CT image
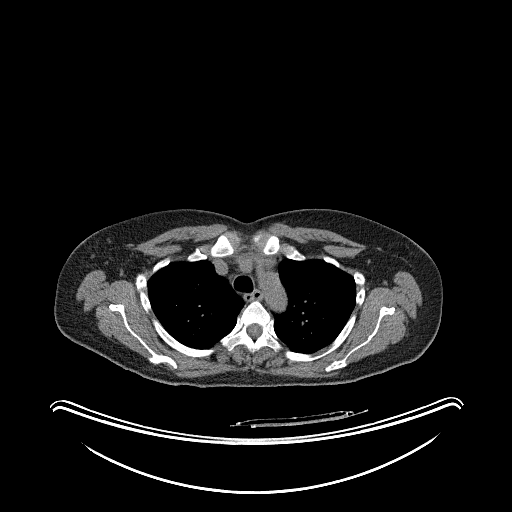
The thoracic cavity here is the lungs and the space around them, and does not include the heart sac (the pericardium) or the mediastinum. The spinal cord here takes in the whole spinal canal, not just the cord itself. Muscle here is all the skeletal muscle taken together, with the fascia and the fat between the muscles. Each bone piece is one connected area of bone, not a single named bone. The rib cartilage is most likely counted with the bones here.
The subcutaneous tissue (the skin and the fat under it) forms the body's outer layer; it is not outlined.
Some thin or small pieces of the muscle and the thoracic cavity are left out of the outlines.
{"spinal_cord":[[[252,324],[257,324],[260,327],[260,328],[261,329],[261,332],[260,333],[260,334],[256,338],[255,338],[254,339],[253,338],[252,338],[248,334],[248,333],[247,332],[247,328],[248,327],[248,326],[249,326],[250,325],[251,325]]],"torso":[[[178,208],[215,211],[244,222],[293,209],[330,208],[361,215],[403,233],[430,255],[441,276],[441,320],[433,341],[410,363],[356,381],[330,385],[170,385],[120,367],[71,341],[58,329],[54,319],[54,298],[60,270],[71,251],[92,233],[134,216]]],"muscle":[[[96,269],[103,270],[109,282],[134,278],[144,311],[155,316],[151,323],[159,337],[193,358],[210,356],[218,342],[228,352],[243,345],[251,354],[263,347],[277,353],[284,344],[283,355],[292,362],[319,359],[337,349],[352,330],[357,319],[352,312],[364,301],[365,282],[371,289],[391,287],[398,271],[414,277],[422,302],[400,341],[348,365],[349,356],[377,333],[383,317],[395,312],[394,306],[382,305],[366,338],[324,367],[326,372],[341,369],[333,376],[298,377],[248,370],[181,377],[156,365],[176,369],[176,361],[156,352],[131,328],[123,303],[111,302],[108,308],[120,314],[125,328],[149,353],[147,359],[108,339],[83,311],[76,300],[77,288],[85,275]],[[274,222],[327,229],[365,245],[367,248],[349,261],[360,270],[355,269],[351,274],[334,257],[323,253],[320,258],[308,258],[273,233],[263,235],[256,232],[251,235],[250,240],[261,246],[260,253],[247,248],[235,252],[234,241],[239,243],[241,238],[233,232],[223,232],[209,245],[197,245],[184,260],[172,261],[169,256],[158,260],[148,278],[141,271],[149,265],[148,257],[127,246],[186,225],[222,223],[249,233]]],"thoracic_cavity":[[[185,260],[187,262],[197,262],[202,260],[209,261],[215,272],[228,282],[230,287],[242,299],[244,304],[236,317],[233,327],[208,348],[196,348],[186,345],[170,334],[156,317],[148,296],[147,282],[150,276],[160,269],[166,267],[171,262],[181,262]],[[284,258],[294,261],[321,259],[326,263],[331,264],[350,274],[356,286],[354,300],[355,305],[348,319],[337,335],[328,345],[313,352],[300,352],[289,349],[279,339],[274,328],[273,314],[280,314],[284,312],[288,305],[288,295],[279,274],[279,264]]],"mediastinum":[[[244,249],[260,254],[262,253],[267,256],[282,253],[285,257],[278,264],[279,278],[287,295],[287,305],[284,311],[273,313],[272,317],[258,300],[253,300],[244,306],[243,299],[234,291],[229,282],[216,272],[213,264],[207,259],[209,257],[230,256]]],"bones":[{"outer":[[253,301],[258,301],[261,303],[273,319],[274,331],[283,347],[281,350],[276,352],[272,348],[268,346],[263,346],[254,353],[251,353],[243,344],[238,344],[231,351],[228,351],[219,342],[220,339],[226,335],[234,327],[237,320],[237,317],[242,309]],"hole":[[252,324],[257,324],[260,327],[260,328],[261,329],[261,332],[260,333],[260,334],[256,338],[255,338],[254,339],[253,338],[252,338],[248,334],[248,333],[247,332],[247,328],[248,327],[248,326],[249,326],[250,325],[251,325]]},[[227,232],[233,233],[240,238],[239,242],[237,242],[234,240],[233,241],[234,252],[232,254],[226,256],[215,256],[214,257],[213,256],[209,256],[206,259],[202,259],[197,261],[187,261],[186,260],[187,256],[197,246],[201,245],[209,246],[219,235]],[[256,233],[261,233],[263,236],[268,234],[276,235],[280,239],[280,241],[282,243],[285,242],[291,244],[307,258],[304,260],[294,260],[287,258],[282,252],[269,255],[264,254],[261,249],[262,246],[259,243],[258,244],[255,243],[251,240],[252,235]],[[353,313],[356,315],[356,319],[351,330],[341,344],[331,352],[319,358],[310,361],[292,361],[285,357],[284,355],[284,351],[286,349],[288,349],[294,352],[299,352],[300,353],[313,353],[318,351],[324,347],[328,346],[338,335],[349,319],[350,316]],[[154,317],[155,317],[158,320],[161,325],[170,335],[171,335],[176,340],[182,344],[192,348],[195,348],[196,349],[208,349],[209,348],[214,348],[214,352],[208,356],[193,357],[192,356],[186,355],[171,347],[160,337],[156,331],[152,323],[152,318]],[[111,303],[123,304],[126,320],[130,328],[156,353],[167,355],[171,357],[175,361],[177,367],[174,368],[168,363],[154,364],[150,362],[148,360],[148,358],[151,355],[150,353],[126,328],[121,314],[118,311],[112,311],[109,308],[109,305]],[[382,306],[394,307],[394,312],[392,314],[386,314],[382,317],[380,320],[379,327],[371,339],[366,344],[361,346],[348,356],[346,360],[347,365],[345,367],[326,371],[326,366],[334,360],[341,359],[351,349],[367,338],[375,327],[379,316],[379,310]],[[139,272],[144,273],[145,276],[147,278],[147,281],[146,282],[146,286],[147,287],[147,296],[152,309],[152,311],[150,311],[148,313],[145,311],[141,303],[139,293],[137,290],[136,284],[135,283],[135,278],[136,277],[136,275]],[[355,270],[358,270],[360,271],[364,275],[365,277],[365,281],[363,285],[363,287],[365,290],[365,295],[364,296],[363,301],[360,306],[357,305],[355,302],[355,300],[356,299],[356,293],[357,292],[357,286],[355,283],[354,278],[352,275],[353,272]],[[167,257],[169,257],[170,258],[171,261],[166,266],[160,268],[158,270],[157,270],[154,273],[153,273],[151,275],[151,271],[152,270],[152,268],[153,267],[153,266],[158,261],[159,261],[160,260],[161,260],[164,258],[166,258]],[[323,254],[325,255],[327,255],[328,256],[330,256],[334,258],[336,260],[337,260],[341,264],[341,265],[343,267],[343,269],[341,269],[335,266],[333,264],[331,263],[329,263],[328,262],[326,262],[324,260],[323,260],[321,258],[321,256]]]}